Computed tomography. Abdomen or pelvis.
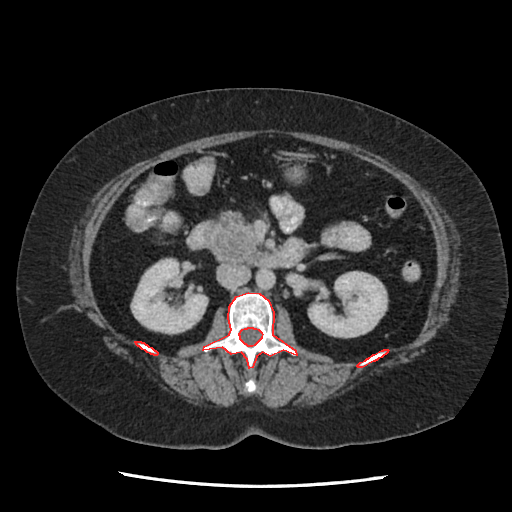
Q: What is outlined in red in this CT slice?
A: red: bones.
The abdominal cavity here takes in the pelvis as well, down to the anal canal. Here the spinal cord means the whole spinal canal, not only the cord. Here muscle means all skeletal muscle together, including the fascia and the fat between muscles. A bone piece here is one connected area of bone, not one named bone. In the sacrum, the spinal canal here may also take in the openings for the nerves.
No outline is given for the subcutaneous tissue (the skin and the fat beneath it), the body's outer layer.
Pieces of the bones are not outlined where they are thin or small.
The bones appear in 3 outlined pieces: piece 1: 248 292; 259 293; 268 300; 273 312; 272 334; 295 350; 296 355; 283 350; 270 356; 262 352; 256 356; 252 367; 249 368; 247 359; 241 352; 231 354; 222 347; 203 350; 204 346; 229 334; 231 329; 228 318; 229 306; 236 296; inner edge: 248 327; 252 327; 253 328; 256 328; 258 329; 261 332; 262 334; 261 336; 261 338; 254 345; 252 346; 248 346; 246 344; 245 344; 240 339; 240 336; 239 335; 239 333; 242 329; 244 328; 247 328; piece 2: 384 349; 387 349; 388 350; 387 351; 387 352; 381 357; 378 358; 376 360; 375 360; 374 361; 373 361; 362 367; 358 367; 357 366; 357 365; 360 362; 365 360; 367 358; 368 358; 373 354; 374 354; 381 350; 383 350; piece 3: 135 341; 140 341; 141 342; 143 342; 145 344; 146 344; 148 346; 151 347; 154 350; 155 350; 157 352; 157 354; 156 355; 154 355; 153 354; 151 354; 150 353; 147 352; 145 350; 142 349; 139 346; 138 346; 136 344. The spinal cord is outlined by 248 327; 252 327; 253 328; 256 328; 258 329; 261 332; 262 334; 261 336; 261 338; 254 345; 252 346; 248 346; 246 344; 245 344; 240 339; 240 336; 239 335; 239 333; 242 329; 244 328; 247 328. The torso is outlined by 224 87; 304 89; 367 103; 431 133; 477 174; 496 213; 508 296; 491 355; 453 418; 404 437; 327 449; 289 446; 255 434; 219 449; 169 448; 111 434; 40 377; 23 340; 15 277; 25 226; 49 173; 81 137; 116 115; 165 97. The muscle is outlined by 269 128; 276 128; 289 131; 308 132; 335 138; 353 144; 357 144; 387 159; 395 166; 409 174; 419 182; 423 187; 427 189; 436 198; 454 223; 455 228; 459 235; 460 275; 458 291; 456 294; 455 301; 450 308; 448 315; 449 320; 447 323; 440 327; 437 330; 436 334; 423 346; 425 350; 423 353; 410 362; 402 363; 392 368; 386 368; 382 373; 378 375; 376 374; 370 375; 367 379; 360 381; 352 389; 348 390; 339 396; 328 399; 322 403; 311 407; 302 409; 294 409; 291 411; 275 410; 269 408; 263 405; 253 396; 246 397; 238 403; 227 407; 205 408; 196 406; 188 403; 178 395; 165 391; 158 385; 156 381; 148 377; 143 369; 129 363; 120 356; 110 351; 102 339; 103 331; 83 312; 80 311; 74 304; 74 297; 71 292; 71 286; 69 282; 68 274; 69 267; 68 253; 73 229; 79 223; 91 199; 100 188; 113 177; 135 163; 153 157; 165 150; 175 147; 180 144; 202 137; 231 131; 257 130, around holes outlined by 259 134; 345 151; 413 194; 436 279; 411 341; 362 367; 336 362; 299 345; 277 305; 277 339; 297 353; 262 352; 249 368; 241 352; 203 350; 227 336; 222 305; 204 339; 174 354; 147 352; 106 319; 90 261; 119 196; 160 160 and by 250 378; 252 378; 254 380; 254 381; 255 382; 255 384; 256 385; 256 389; 255 390; 255 391; 254 391; 253 392; 248 392; 246 390; 246 389; 245 388; 245 383. The abdominal cavity is outlined by 259 134; 345 151; 413 194; 433 232; 436 279; 411 341; 361 361; 336 362; 297 343; 281 305; 277 338; 273 308; 256 291; 231 300; 227 335; 221 305; 204 339; 174 354; 127 337; 106 319; 94 295; 90 261; 119 196; 160 160.